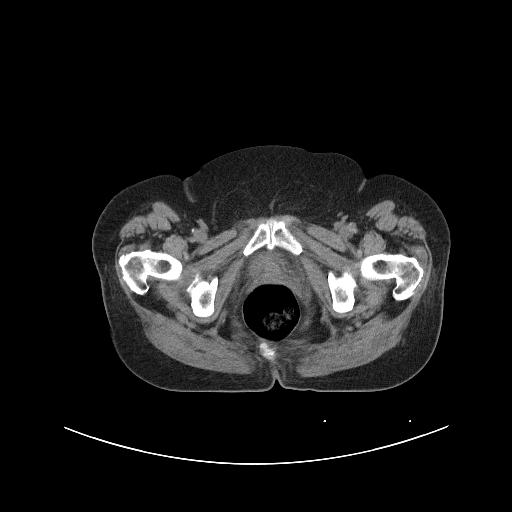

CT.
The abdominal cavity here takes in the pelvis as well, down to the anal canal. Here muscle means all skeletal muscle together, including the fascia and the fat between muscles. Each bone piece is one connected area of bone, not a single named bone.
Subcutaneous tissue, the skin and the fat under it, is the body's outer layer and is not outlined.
The muscle is outlined by (385, 197) (393, 197) (403, 203) (423, 226) (431, 251) (434, 274) (431, 276) (427, 289) (412, 313) (403, 333) (404, 340) (376, 359) (363, 365) (313, 377) (301, 377) (293, 370) (290, 371) (287, 368) (277, 366) (263, 366) (251, 374) (238, 374) (187, 365) (166, 355) (149, 341) (138, 315) (116, 277) (114, 252) (119, 229) (132, 212) (155, 200) (166, 202) (212, 227) (225, 230) (241, 219) (275, 214) (288, 214) (300, 218) (314, 219) (340, 217) with holes at (269, 218) (283, 220) (286, 227) (302, 245) (302, 251) (295, 257) (301, 265) (305, 275) (305, 313) (301, 325) (295, 334) (282, 343) (269, 343) (251, 337) (244, 329) (238, 312) (237, 295) (239, 276) (240, 270) (246, 259) (243, 254) (243, 249) (258, 225) (265, 222) and at (376, 253) (400, 253) (407, 256) (412, 256) (416, 258) (424, 272) (420, 283) (415, 288) (414, 293) (411, 296) (403, 300) (396, 300) (392, 296) (392, 289) (394, 286) (394, 280) (392, 278) (390, 279) (367, 280) (364, 279) (360, 275) (359, 267) (356, 264) (364, 257) and at (145, 249) (165, 252) (175, 257) (181, 262) (182, 270) (180, 277) (177, 280) (171, 280) (170, 281) (161, 278) (150, 277) (148, 280) (149, 289) (145, 294) (141, 295) (132, 291) (122, 278) (122, 272) (119, 264) (119, 257) (123, 254) (132, 251) (141, 251) and at (196, 272) (198, 272) (200, 276) (203, 279) (207, 281) (210, 281) (214, 276) (217, 277) (217, 289) (214, 298) (214, 310) (212, 314) (207, 317) (199, 317) (196, 316) (193, 313) (190, 304) (190, 296) (186, 291) (187, 286) (193, 279) and at (348, 268) (349, 268) (357, 283) (357, 287) (354, 290) (355, 301) (353, 307) (350, 311) (341, 313) (335, 311) (332, 307) (332, 298) (331, 297) (331, 293) (328, 285) (327, 277) (328, 276) (328, 271) (329, 270) (331, 270) (333, 272) (334, 275) (338, 277) and at (317, 306) (319, 307) (319, 311) (320, 312) (319, 320) (320, 322) (324, 325) (326, 329) (326, 332) (327, 333) (326, 334) (326, 336) (321, 340) (314, 340) (314, 339) (316, 337) (315, 335) (312, 333) (308, 332) (313, 322) (313, 317) (316, 312) (316, 307) and at (261, 343) (264, 343) (265, 344) (266, 344) (269, 347) (270, 347) (272, 349) (273, 349) (275, 351) (275, 355) (274, 356) (274, 357) (271, 360) (270, 360) (269, 359) (267, 359) (265, 357) (264, 357) (261, 354) (261, 350) (259, 347) (259, 344) (260, 344) and at (228, 318) (229, 319) (229, 326) (228, 327) (228, 331) (226, 331) (224, 329) (223, 329) (223, 327) (225, 325) (225, 323) (227, 321) (227, 319). The bones appear in 6 outlined pieces: piece 1: (376, 253) (400, 253) (407, 256) (412, 256) (416, 258) (424, 272) (420, 283) (415, 288) (414, 293) (411, 296) (403, 300) (396, 300) (392, 296) (392, 289) (394, 286) (394, 280) (392, 278) (390, 279) (367, 280) (364, 279) (360, 275) (359, 267) (356, 264) (364, 257); piece 2: (145, 249) (165, 252) (175, 257) (181, 262) (182, 270) (180, 277) (177, 280) (171, 280) (170, 281) (161, 278) (150, 277) (148, 280) (149, 289) (145, 294) (141, 295) (132, 291) (122, 278) (122, 272) (119, 264) (119, 257) (123, 254) (132, 251) (141, 251); piece 3: (269, 218) (274, 218) (276, 220) (283, 220) (285, 222) (286, 227) (302, 245) (302, 251) (298, 255) (294, 255) (288, 250) (276, 245) (272, 248) (268, 248) (264, 245) (256, 249) (247, 256) (243, 254) (243, 249) (245, 245) (252, 236) (258, 225) (262, 222) (265, 222); piece 4: (196, 272) (198, 272) (200, 276) (203, 279) (207, 281) (210, 281) (214, 276) (217, 277) (217, 289) (214, 298) (214, 310) (212, 314) (207, 317) (199, 317) (196, 316) (193, 313) (190, 304) (190, 296) (186, 291) (187, 286) (193, 279); piece 5: (348, 268) (349, 268) (357, 283) (357, 287) (354, 290) (355, 301) (353, 307) (350, 311) (341, 313) (335, 311) (332, 307) (332, 298) (331, 297) (331, 293) (328, 285) (327, 277) (328, 276) (328, 271) (329, 270) (331, 270) (333, 272) (334, 275) (338, 277); piece 6: (261, 343) (264, 343) (265, 344) (266, 344) (269, 347) (270, 347) (272, 349) (273, 349) (275, 351) (275, 355) (274, 356) (274, 357) (271, 360) (270, 360) (269, 359) (267, 359) (265, 357) (264, 357) (261, 354) (261, 350) (259, 347) (259, 344) (260, 344). The torso is outlined by (268, 144) (341, 153) (355, 160) (367, 177) (391, 173) (417, 185) (443, 212) (451, 245) (441, 329) (431, 357) (406, 382) (377, 391) (297, 390) (277, 381) (265, 391) (172, 391) (140, 379) (117, 355) (91, 246) (105, 205) (143, 179) (164, 173) (184, 178) (219, 155). The abdominal cavity is outlined by (264, 246) (268, 249) (272, 249) (276, 246) (296, 256) (295, 257) (301, 265) (303, 273) (305, 275) (306, 303) (305, 313) (303, 316) (301, 325) (291, 338) (282, 343) (269, 343) (263, 340) (257, 340) (251, 337) (244, 329) (238, 312) (237, 295) (240, 270) (246, 257).